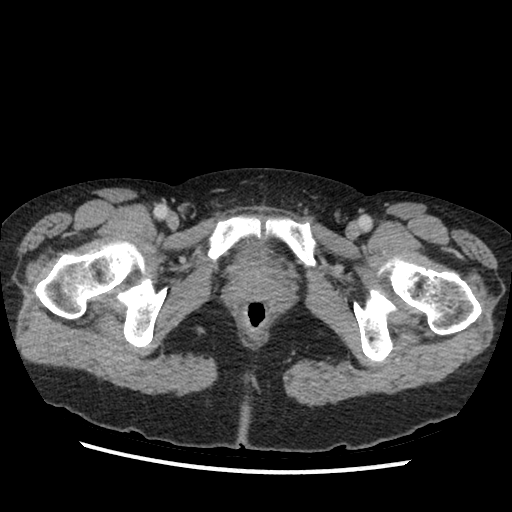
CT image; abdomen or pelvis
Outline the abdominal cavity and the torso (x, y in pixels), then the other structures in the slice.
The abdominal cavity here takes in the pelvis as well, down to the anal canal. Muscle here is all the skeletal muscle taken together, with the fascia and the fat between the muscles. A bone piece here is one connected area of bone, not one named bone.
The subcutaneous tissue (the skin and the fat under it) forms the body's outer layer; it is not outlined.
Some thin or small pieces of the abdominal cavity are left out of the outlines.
The abdominal cavity is outlined by (251, 237) (254, 237) (259, 240) (275, 238) (285, 244) (296, 258) (296, 284) (294, 297) (271, 321) (264, 336) (261, 339) (249, 339) (244, 336) (240, 322) (238, 321) (238, 317) (232, 311) (222, 294) (223, 292) (221, 289) (220, 281) (221, 257) (226, 254) (242, 239). The torso is outlined by (242, 167) (312, 173) (366, 194) (394, 189) (429, 194) (508, 230) (511, 272) (502, 325) (481, 377) (454, 416) (362, 450) (340, 445) (286, 452) (148, 440) (135, 431) (99, 427) (44, 400) (6, 313) (0, 272) (3, 220) (35, 196) (87, 180) (129, 177) (176, 184). The bones appear in 4 outlined pieces: piece 1: (115, 240) (129, 241) (138, 248) (156, 290) (168, 287) (154, 323) (152, 339) (145, 347) (134, 346) (125, 339) (126, 307) (115, 298) (117, 290) (124, 288) (137, 271) (130, 273) (111, 291) (91, 298) (84, 314) (75, 319) (51, 312) (33, 291) (62, 253) (83, 254); piece 2: (395, 255) (401, 255) (406, 260) (436, 271) (450, 270) (456, 272) (468, 284) (480, 303) (481, 313) (479, 316) (460, 331) (445, 335) (433, 332) (427, 324) (426, 315) (407, 304) (394, 292) (388, 278) (389, 272) (384, 271) (380, 275) (377, 274) (380, 266) (387, 259); piece 3: (238, 214) (254, 214) (259, 217) (263, 224) (269, 216) (284, 216) (300, 223) (309, 222) (311, 233) (317, 243) (314, 250) (316, 264) (304, 266) (286, 244) (275, 237) (259, 239) (254, 236) (242, 238) (220, 256) (216, 263) (214, 262) (207, 255) (208, 238) (219, 220); piece 4: (372, 288) (381, 288) (385, 292) (387, 297) (393, 302) (397, 308) (396, 311) (390, 312) (387, 316) (387, 326) (393, 343) (393, 348) (382, 361) (371, 360) (362, 351) (359, 326) (353, 310) (353, 301) (356, 300) (363, 306) (365, 301) (370, 295) (369, 294) (369, 290). The muscle is outlined by (106, 187) (136, 191) (175, 231) (236, 206) (265, 205) (308, 217) (348, 240) (390, 204) (439, 203) (497, 260) (503, 293) (492, 312) (493, 337) (441, 381) (312, 407) (286, 394) (283, 373) (305, 358) (341, 358) (348, 349) (302, 301) (281, 315) (257, 350) (242, 344) (234, 318) (215, 298) (189, 313) (167, 334) (165, 349) (211, 358) (218, 374) (211, 387) (182, 396) (146, 394) (83, 370) (30, 362) (16, 336) (17, 248) (44, 215) with holes at (238, 214) (254, 214) (263, 224) (269, 216) (284, 216) (300, 223) (309, 222) (317, 243) (314, 250) (314, 266) (304, 266) (296, 259) (294, 297) (271, 321) (261, 339) (249, 339) (244, 336) (238, 317) (222, 294) (221, 257) (216, 263) (207, 255) (208, 238) (216, 223) and at (115, 240) (129, 241) (138, 248) (156, 290) (168, 287) (154, 323) (152, 339) (145, 347) (134, 346) (125, 339) (126, 307) (115, 298) (117, 290) (124, 288) (137, 271) (130, 273) (111, 291) (91, 298) (84, 314) (75, 319) (51, 312) (33, 291) (62, 253) (83, 254) and at (395, 255) (401, 255) (406, 260) (436, 271) (450, 270) (456, 272) (468, 284) (480, 303) (481, 313) (479, 316) (460, 331) (445, 335) (433, 332) (427, 324) (426, 315) (407, 304) (394, 292) (388, 278) (389, 272) (384, 271) (380, 275) (377, 274) (380, 266) (387, 259) and at (372, 288) (381, 288) (385, 292) (387, 297) (393, 302) (397, 308) (396, 311) (390, 312) (387, 316) (387, 326) (393, 343) (393, 348) (382, 361) (371, 360) (362, 351) (359, 326) (353, 310) (353, 301) (356, 300) (363, 306) (365, 301) (370, 295) (369, 294) (369, 290).